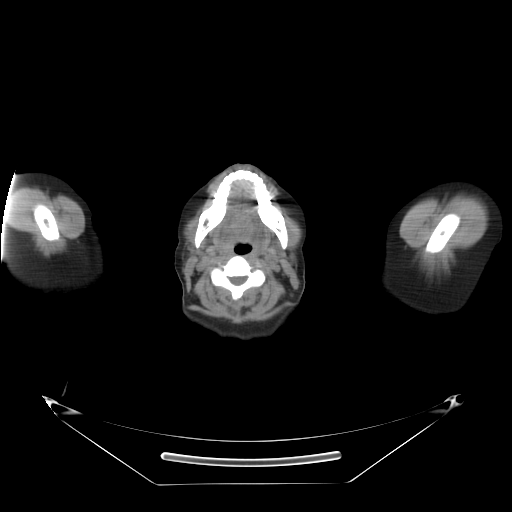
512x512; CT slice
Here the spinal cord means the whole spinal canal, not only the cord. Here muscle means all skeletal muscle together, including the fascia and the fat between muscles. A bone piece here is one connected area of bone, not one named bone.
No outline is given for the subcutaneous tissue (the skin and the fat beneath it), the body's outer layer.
The muscle appears in 3 outlined pieces: piece 1: [[240,166],[249,167],[259,172],[265,176],[279,190],[286,203],[290,205],[296,212],[301,224],[302,236],[299,241],[299,246],[296,252],[298,257],[297,275],[299,279],[299,287],[293,304],[270,319],[264,321],[251,321],[241,324],[235,324],[222,318],[203,315],[190,310],[187,307],[188,304],[186,299],[185,284],[181,267],[181,253],[183,247],[183,226],[187,217],[204,197],[205,190],[207,187],[216,178],[225,172]], around holes outlined by [[238,169],[250,170],[262,178],[271,195],[271,203],[280,210],[285,221],[288,236],[285,249],[281,247],[275,233],[262,222],[253,189],[240,182],[234,182],[230,188],[221,221],[207,233],[199,247],[195,247],[194,237],[200,214],[210,205],[223,178]] and by [[239,245],[249,246],[248,251],[240,254],[252,266],[258,265],[265,275],[265,280],[260,286],[246,289],[238,299],[234,300],[231,292],[228,289],[221,286],[216,286],[212,283],[210,271],[214,267],[224,264],[232,256],[234,256],[237,253],[236,247]]; piece 2: [[450,191],[466,191],[481,197],[486,203],[489,211],[488,227],[483,236],[474,245],[457,251],[453,274],[444,280],[434,282],[423,276],[417,270],[415,263],[412,261],[413,256],[407,251],[399,236],[399,226],[409,208],[419,200],[429,197],[432,194]], around a hole outlined by [[448,213],[454,213],[459,216],[460,218],[460,221],[459,222],[458,226],[452,235],[449,238],[445,244],[444,247],[440,251],[436,252],[435,253],[426,252],[425,251],[425,246],[429,239],[429,237],[432,231],[437,225],[439,221],[446,214]]; piece 3: [[25,184],[39,185],[45,188],[69,194],[82,208],[85,216],[85,231],[83,235],[66,252],[56,254],[49,258],[43,257],[34,250],[30,241],[30,237],[28,235],[13,228],[10,228],[5,222],[4,210],[8,193],[11,191],[15,191],[16,189]], around a hole outlined by [[39,203],[45,205],[52,212],[56,220],[56,223],[58,227],[58,230],[60,235],[59,239],[57,240],[54,240],[53,241],[49,241],[45,239],[42,236],[40,229],[38,227],[34,219],[34,216],[33,215],[33,209],[34,208],[34,206]]. The bones appear in 4 outlined pieces: piece 1: [[238,169],[250,170],[262,178],[271,195],[271,203],[280,210],[285,221],[288,236],[285,249],[281,247],[275,233],[262,222],[253,189],[240,182],[234,182],[230,188],[221,221],[207,233],[199,247],[195,247],[194,237],[200,214],[210,205],[223,178]]; piece 2: [[236,254],[242,255],[252,266],[258,265],[258,267],[263,271],[265,275],[265,280],[260,286],[250,287],[246,289],[238,299],[234,300],[232,298],[231,292],[228,289],[221,286],[216,286],[212,283],[210,271],[214,267],[224,264],[232,256],[234,256]]; inner edge: [[234,276],[245,276],[246,277],[246,279],[242,283],[241,283],[240,284],[238,284],[237,285],[236,284],[234,284],[233,283],[232,283],[230,281],[230,280],[229,279],[229,278],[230,277],[233,277]]; piece 3: [[448,213],[454,213],[459,216],[460,218],[460,221],[459,222],[458,226],[452,235],[449,238],[445,244],[444,247],[440,251],[436,252],[435,253],[426,252],[425,251],[425,246],[429,239],[429,237],[432,231],[437,225],[439,221],[446,214]]; piece 4: [[39,203],[45,205],[52,212],[56,220],[56,223],[58,227],[58,230],[60,235],[59,239],[57,240],[54,240],[53,241],[49,241],[45,239],[42,236],[40,229],[38,227],[34,219],[34,216],[33,215],[33,209],[34,208],[34,206]]. The left arm is outlined by [[453,178],[465,178],[475,181],[485,187],[495,197],[503,215],[503,233],[501,240],[493,250],[477,287],[463,310],[446,317],[432,317],[407,311],[396,305],[384,295],[376,283],[376,275],[384,254],[384,242],[387,227],[394,214],[420,191],[438,182]]. The right arm is outlined by [[25,171],[43,171],[62,178],[68,182],[88,204],[92,213],[93,226],[99,234],[103,244],[105,262],[107,266],[107,271],[103,279],[91,289],[85,292],[61,295],[39,294],[21,287],[8,273],[2,261],[4,252],[4,210],[14,175],[18,172]]. The head and neck is outlined by [[238,162],[253,164],[271,175],[297,199],[305,212],[307,222],[307,235],[303,246],[305,288],[301,302],[290,321],[275,334],[251,341],[220,338],[188,321],[181,311],[182,288],[173,264],[174,250],[178,241],[177,225],[184,203],[209,178],[227,166]]; inner edge: [[239,245],[247,245],[248,246],[249,246],[249,250],[248,251],[247,251],[245,253],[241,253],[240,254],[239,253],[237,253],[236,252],[236,247],[237,246],[238,246]]. The spinal cord is outlined by [[234,276],[245,276],[246,277],[246,279],[242,283],[241,283],[240,284],[238,284],[237,285],[236,284],[234,284],[233,283],[232,283],[230,281],[230,280],[229,279],[229,278],[230,277],[233,277]].